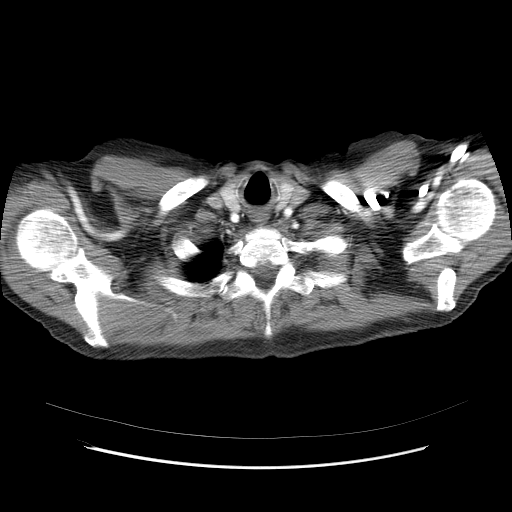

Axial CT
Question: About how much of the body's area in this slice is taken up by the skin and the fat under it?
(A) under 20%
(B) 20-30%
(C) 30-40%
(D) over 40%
Answer: (A) under 20%
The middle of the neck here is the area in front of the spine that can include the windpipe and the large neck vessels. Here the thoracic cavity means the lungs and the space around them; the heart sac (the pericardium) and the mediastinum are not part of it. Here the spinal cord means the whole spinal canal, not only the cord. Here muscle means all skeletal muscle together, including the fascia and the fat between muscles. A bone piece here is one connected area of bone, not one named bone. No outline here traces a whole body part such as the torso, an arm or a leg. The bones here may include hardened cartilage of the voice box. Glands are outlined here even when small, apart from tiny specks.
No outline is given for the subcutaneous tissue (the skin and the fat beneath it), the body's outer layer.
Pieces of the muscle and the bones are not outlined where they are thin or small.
Outlines (x, y in pixels):
bones 1: 258,226 293,241 339,235 347,242 329,257 289,254 298,272 348,277 331,287 315,285 308,295 281,289 270,309 270,338 264,335 263,304 252,296 226,302 217,294 179,295 155,277 207,282 237,264 224,250; inner edge: 268,262 274,266 277,266 278,268 277,269 277,271 276,272 276,274 275,275 275,277 273,280 273,282 272,284 269,287 260,287 257,285 256,283 256,281 254,277 250,272 250,270 256,267 258,265 264,265
bones 2: 47,207 65,218 85,256 112,276 110,288 113,292 151,304 100,296 98,321 108,347 94,347 84,340 88,327 75,306 76,287 71,282 53,280 47,271 37,271 20,257 15,240 20,220 34,210
bones 3: 460,178 476,178 485,183 493,192 497,207 496,217 490,228 478,238 469,241 458,252 449,252 408,264 402,257 403,246 407,242 424,235 430,229 432,223 435,221 436,216 434,211 436,209 436,203 439,195
bones 4: 200,174 202,174 208,178 208,183 202,189 188,197 184,201 180,203 174,208 169,210 165,214 163,215 159,215 158,214 159,211 158,203 162,196 170,188 178,182 182,181 188,177 194,175 199,175
bones 5: 444,267 450,267 452,269 453,269 456,275 456,279 455,280 455,285 454,286 454,290 453,291 453,297 455,299 456,304 455,306 451,310 449,311 438,311 436,309 436,306 437,305 437,277 440,271
bones 6: 328,177 331,177 332,178 340,180 355,194 357,197 357,199 358,200 358,205 359,206 357,211 355,212 352,212 350,211 345,207 342,206 333,198 332,198 322,190 320,187 320,185 326,179 326,178
bones 7: 182,237 186,237 187,238 188,238 201,250 201,252 199,254 196,255 187,262 184,262 183,261 180,260 177,257 177,256 174,253 174,251 173,250 173,249 172,248 172,246 171,245 172,242 174,240 177,240
thoracic cavity: 214,238 218,238 221,242 223,243 224,246 223,254 221,258 221,266 219,269 220,272 209,280 204,282 191,281 186,279 186,274 184,271 185,264 189,262 196,256 199,255 202,252 202,250 198,246 201,246
muscle 1: 401,140 415,142 423,160 449,143 487,145 505,195 511,251 457,304 456,272 444,266 436,277 436,312 360,330 292,326 271,339 109,347 99,298 152,304 113,291 113,276 47,206 19,220 16,249 37,272 75,287 74,306 87,327 82,338 22,299 0,271 13,173 59,172 87,193 94,163 107,154 203,172 228,163 288,162 316,173 350,169 with holes at 262,166 277,181 310,193 289,217 270,219 264,226 293,241 339,235 347,242 343,252 329,257 289,254 298,272 310,268 348,277 331,287 315,285 308,295 281,289 270,309 270,338 264,335 263,304 252,296 226,302 217,294 179,295 155,277 186,279 186,263 174,253 174,240 186,237 201,246 218,238 226,249 258,226 249,220 230,222 206,198 and at 460,178 476,178 485,183 493,192 497,207 496,217 490,228 478,238 469,241 458,252 449,252 408,264 402,257 403,246 407,242 424,235 430,229 432,223 435,221 436,216 434,211 436,209 436,203 439,195 and at 200,174 202,174 208,178 208,183 202,189 188,197 184,201 180,203 174,208 169,210 165,214 163,215 159,215 158,214 159,211 158,203 162,196 170,188 178,182 182,181 188,177 194,175 199,175 and at 328,177 331,177 332,178 340,180 355,194 357,197 357,199 358,200 358,205 359,206 357,211 355,212 352,212 350,211 345,207 342,206 333,198 332,198 322,190 320,187 320,185 326,179 326,178
muscle 2: 224,253 226,255 231,255 234,257 236,257 237,258 237,262 236,263 236,264 233,267 232,267 231,268 229,268 228,269 226,269 223,271 220,271 220,269 222,266 222,258 223,257 223,255 224,254
spinal cord: 268,262 274,266 277,266 278,268 277,269 277,271 276,272 276,274 275,275 275,277 273,280 273,282 272,284 269,287 260,287 257,285 256,283 256,281 254,277 250,272 250,270 256,267 258,265 264,265
middle of the neck: 255,170 263,170 277,181 281,193 274,207 277,212 296,190 294,183 310,193 289,217 270,219 263,225 254,225 249,220 232,223 223,212 212,207 206,198 219,189 224,205 238,212 241,209 235,194 238,183
thyroid glands 1: 240,176 243,176 243,177 237,183 237,185 235,189 235,193 234,194 238,199 239,205 240,206 240,209 238,211 234,211 233,210 229,209 225,205 224,201 220,194 220,189 226,183 227,183 233,178 236,178
thyroid glands 2: 278,181 286,181 287,182 289,182 292,185 293,185 293,186 295,188 295,190 291,194 291,196 289,198 288,201 285,204 285,205 281,209 277,211 275,209 275,207 278,203 278,200 282,193 278,185